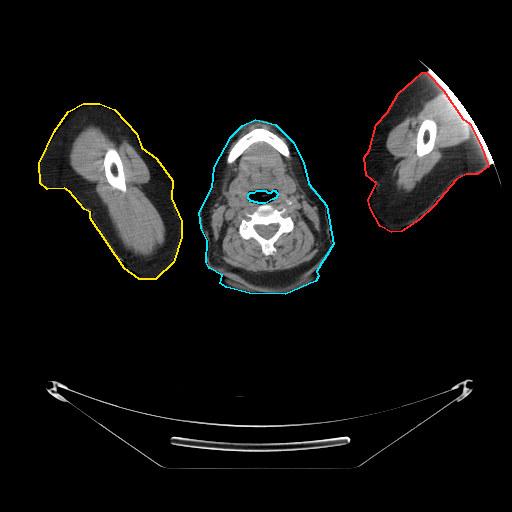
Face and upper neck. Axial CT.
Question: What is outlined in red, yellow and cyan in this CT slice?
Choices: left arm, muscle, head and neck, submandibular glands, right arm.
Answer: red: left arm; yellow: right arm; cyan: head and neck.
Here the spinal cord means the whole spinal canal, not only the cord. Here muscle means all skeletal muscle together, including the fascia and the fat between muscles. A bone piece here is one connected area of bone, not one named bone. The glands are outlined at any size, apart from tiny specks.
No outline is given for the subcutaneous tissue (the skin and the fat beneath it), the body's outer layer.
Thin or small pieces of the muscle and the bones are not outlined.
The left arm is outlined by (422, 72) (426, 72) (443, 90) (462, 118) (469, 123) (480, 144) (488, 166) (477, 174) (466, 174) (456, 179) (433, 206) (418, 220) (401, 231) (391, 232) (380, 226) (370, 208) (368, 200) (376, 183) (366, 175) (364, 157) (369, 150) (376, 124) (387, 112) (398, 93). The right arm is outlined by (83, 103) (99, 103) (114, 109) (136, 133) (141, 147) (156, 158) (172, 180) (171, 198) (181, 221) (181, 237) (173, 262) (155, 279) (139, 279) (124, 268) (90, 218) (90, 212) (84, 209) (69, 191) (64, 188) (47, 189) (40, 183) (39, 163) (54, 131) (68, 111). The head and neck is outlined by (255, 119) (275, 124) (292, 141) (303, 162) (308, 183) (326, 205) (333, 244) (316, 271) (318, 276) (315, 281) (285, 294) (249, 293) (226, 287) (220, 283) (222, 275) (209, 268) (206, 262) (207, 240) (201, 228) (199, 212) (212, 187) (214, 167) (231, 136) (242, 125), around a hole outlined by (257, 190) (265, 190) (267, 192) (271, 192) (273, 190) (275, 190) (275, 191) (277, 193) (277, 195) (275, 198) (274, 198) (273, 199) (272, 199) (265, 203) (258, 203) (257, 202) (254, 202) (253, 201) (250, 201) (250, 200) (248, 198) (248, 194) (250, 192) (254, 192). The muscle appears in 4 outlined pieces: piece 1: (256, 142) (269, 144) (286, 158) (289, 158) (291, 153) (300, 185) (318, 208) (321, 228) (321, 245) (319, 250) (309, 261) (290, 269) (256, 272) (247, 271) (225, 263) (215, 253) (209, 209) (220, 193) (224, 174) (224, 162) (225, 160) (229, 165) (233, 163) (249, 146); inner edge: (257, 190) (267, 192) (275, 190) (276, 197) (267, 202) (277, 210) (286, 208) (294, 223) (292, 231) (282, 233) (274, 242) (276, 250) (271, 255) (264, 255) (260, 244) (254, 238) (244, 239) (238, 232) (238, 226) (245, 214) (253, 213) (261, 204) (248, 198) (250, 192); piece 2: (91, 123) (99, 126) (113, 138) (118, 140) (121, 137) (125, 138) (149, 169) (150, 180) (143, 190) (159, 212) (165, 226) (163, 245) (149, 256) (135, 255) (125, 248) (116, 234) (107, 208) (102, 204) (95, 191) (94, 184) (78, 175) (69, 163) (74, 137) (84, 126), around a hole outlined by (109, 148) (114, 148) (117, 151) (120, 157) (122, 163) (122, 166) (123, 167) (123, 172) (125, 177) (125, 183) (126, 184) (126, 190) (125, 192) (122, 192) (118, 189) (113, 188) (107, 181) (105, 175) (105, 170) (103, 165) (103, 160) (104, 159) (105, 153); piece 3: (444, 94) (462, 118) (467, 122) (468, 136) (464, 141) (446, 148) (443, 151) (443, 156) (439, 162) (411, 191) (405, 192) (400, 190) (395, 184) (396, 178) (392, 176) (395, 163) (385, 146) (387, 135) (389, 131) (407, 115) (414, 116) (421, 111) (429, 101) (438, 95); inner edge: (426, 118) (432, 119) (434, 120) (436, 123) (436, 125) (437, 126) (437, 131) (436, 132) (435, 141) (434, 142) (433, 148) (429, 153) (421, 157) (418, 157) (416, 154) (417, 133) (418, 132) (418, 130) (419, 129) (419, 127) (421, 123) (423, 121) (423, 120); piece 4: (257, 123) (260, 123) (261, 124) (267, 125) (274, 129) (286, 140) (288, 145) (282, 138) (267, 128) (265, 128) (264, 127) (255, 127) (241, 136) (229, 149) (228, 152) (228, 150) (231, 144) (238, 137) (240, 133) (247, 127) (253, 124) (256, 124). The submandibular glands appear in 2 outlined pieces: piece 1: (233, 180) (237, 180) (237, 181) (239, 183) (239, 185) (240, 186) (240, 187) (239, 188) (239, 191) (237, 193) (236, 193) (235, 194) (231, 194) (230, 193) (229, 193) (228, 192) (228, 188) (229, 187) (229, 184); piece 2: (288, 177) (291, 177) (292, 178) (292, 179) (293, 180) (293, 182) (294, 183) (294, 184) (296, 187) (296, 189) (295, 190) (295, 191) (292, 193) (291, 193) (290, 192) (289, 192) (288, 191) (287, 191) (287, 190) (286, 189) (286, 186) (285, 185) (286, 184) (286, 179). The bones appear in 4 outlined pieces: piece 1: (266, 203) (270, 204) (277, 210) (286, 208) (287, 214) (292, 218) (294, 223) (292, 231) (282, 233) (274, 242) (273, 245) (276, 250) (271, 255) (264, 255) (261, 251) (260, 244) (254, 238) (251, 237) (244, 239) (238, 232) (238, 226) (245, 214) (253, 213) (259, 205) with a hole at (270, 224) (278, 224) (279, 225) (279, 226) (278, 227) (278, 228) (277, 229) (277, 230) (274, 233) (274, 234) (268, 238) (265, 238) (264, 237) (263, 237) (261, 235) (260, 235) (257, 232) (257, 231) (255, 229) (255, 225) (265, 225) (266, 226) (267, 225) (269, 225); piece 2: (255, 128) (264, 128) (277, 135) (281, 139) (282, 139) (288, 146) (290, 150) (290, 156) (289, 157) (286, 157) (284, 156) (269, 143) (265, 141) (256, 141) (249, 145) (235, 159) (235, 160) (233, 162) (229, 164) (227, 163) (226, 162) (226, 158) (230, 149) (241, 137); piece 3: (109, 148) (114, 148) (117, 151) (120, 157) (122, 163) (122, 166) (123, 167) (123, 172) (125, 177) (125, 183) (126, 184) (126, 190) (125, 192) (122, 192) (118, 189) (113, 188) (107, 181) (105, 175) (105, 170) (103, 165) (103, 160) (104, 159) (105, 153); piece 4: (426, 118) (432, 119) (434, 120) (436, 123) (436, 125) (437, 126) (437, 131) (436, 132) (435, 141) (434, 142) (433, 148) (429, 153) (421, 157) (418, 157) (416, 154) (417, 133) (418, 132) (418, 130) (419, 129) (419, 127) (421, 123) (423, 121) (423, 120). The spinal cord is outlined by (270, 224) (278, 224) (279, 225) (279, 226) (278, 227) (278, 228) (277, 229) (277, 230) (274, 233) (274, 234) (268, 238) (265, 238) (264, 237) (263, 237) (261, 235) (260, 235) (257, 232) (257, 231) (255, 229) (255, 225) (265, 225) (266, 226) (267, 225) (269, 225).